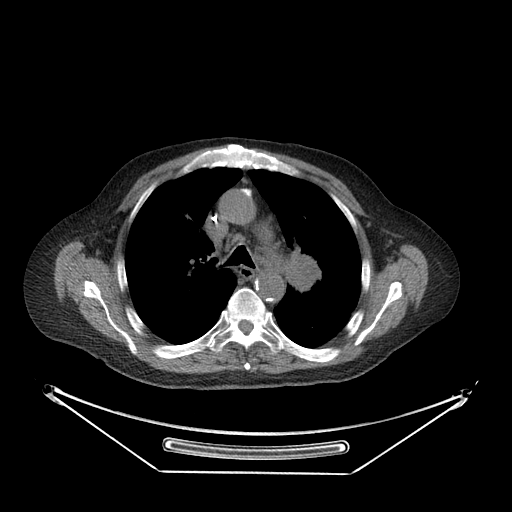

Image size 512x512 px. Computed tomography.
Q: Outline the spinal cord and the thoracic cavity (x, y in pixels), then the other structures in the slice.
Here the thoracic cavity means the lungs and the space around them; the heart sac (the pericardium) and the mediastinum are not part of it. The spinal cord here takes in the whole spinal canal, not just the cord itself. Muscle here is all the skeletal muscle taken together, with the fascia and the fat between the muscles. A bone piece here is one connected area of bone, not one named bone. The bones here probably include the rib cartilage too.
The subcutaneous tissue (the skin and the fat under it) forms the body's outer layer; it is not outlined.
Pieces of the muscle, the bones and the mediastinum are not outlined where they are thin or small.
A: {"spinal_cord":[[[242,320],[246,320],[247,321],[249,321],[252,324],[252,328],[251,329],[251,330],[248,333],[244,333],[239,328],[239,323]]],"thoracic_cavity":[[[215,167],[238,168],[242,172],[241,177],[223,191],[212,204],[201,226],[214,248],[214,267],[229,270],[235,276],[236,284],[218,319],[208,330],[184,343],[168,343],[147,327],[134,308],[125,265],[128,235],[139,210],[158,186],[197,169]],[[250,169],[279,172],[292,177],[302,178],[315,184],[328,194],[342,212],[353,231],[361,259],[359,296],[356,306],[343,328],[323,347],[307,347],[295,342],[281,330],[275,320],[273,310],[284,296],[288,285],[285,271],[288,246],[276,215],[248,174]]],"bones":[{"outer":[[242,287],[257,294],[289,339],[307,348],[336,347],[340,349],[339,354],[318,362],[284,350],[273,353],[262,341],[254,342],[247,350],[230,341],[218,352],[205,348],[174,358],[157,356],[152,351],[157,344],[184,344],[208,331],[219,319],[233,292]],"hole":[[242,320],[246,320],[247,321],[249,321],[252,324],[252,328],[251,329],[251,330],[248,333],[244,333],[239,328],[239,323]]},[[230,143],[239,144],[247,148],[252,148],[258,152],[263,152],[274,156],[279,160],[296,168],[302,176],[296,177],[279,171],[272,171],[263,168],[249,169],[215,166],[211,168],[197,168],[181,176],[175,177],[177,172],[197,155],[207,150],[225,147]],[[85,280],[92,281],[96,284],[100,291],[101,297],[107,307],[111,319],[122,330],[126,332],[131,337],[137,349],[137,354],[135,355],[131,352],[125,338],[110,324],[107,319],[105,310],[101,303],[96,298],[87,297],[83,294],[84,281]],[[394,281],[398,281],[401,283],[402,286],[401,288],[402,291],[401,296],[399,298],[392,301],[386,307],[381,314],[379,319],[376,322],[374,327],[364,337],[360,343],[357,345],[354,345],[354,342],[359,333],[368,327],[372,323],[386,299],[390,284]],[[127,305],[129,305],[133,307],[133,308],[135,310],[136,313],[138,315],[140,319],[146,326],[146,328],[144,330],[145,332],[145,335],[140,335],[132,327],[130,322],[128,320],[128,318],[126,315],[126,312],[125,311],[125,307]],[[359,309],[361,309],[363,311],[363,317],[362,318],[362,320],[361,321],[361,322],[360,323],[356,332],[351,336],[348,337],[347,336],[347,332],[343,329],[346,325],[346,324],[348,322],[348,321],[350,319],[352,314],[355,311],[356,311]],[[154,182],[157,182],[157,186],[152,191],[152,192],[148,196],[148,197],[142,204],[142,205],[138,210],[137,213],[135,215],[131,224],[129,224],[128,222],[128,220],[129,219],[130,212],[134,207],[135,204],[137,202],[141,194],[152,183]],[[363,258],[366,258],[369,261],[369,264],[370,265],[370,279],[369,280],[369,285],[368,286],[368,288],[367,289],[367,291],[366,292],[365,292],[364,293],[363,293],[361,291],[361,264],[362,263],[362,259]],[[329,193],[333,193],[349,209],[349,210],[352,213],[355,219],[355,221],[356,222],[356,228],[357,229],[357,232],[356,234],[354,233],[354,231],[349,221],[347,219],[347,218],[345,216],[343,212],[340,209],[340,208],[329,195]],[[121,256],[124,258],[124,265],[125,266],[125,273],[126,274],[126,278],[127,279],[127,285],[128,286],[128,288],[124,292],[122,292],[121,291],[120,289],[120,286],[118,282],[118,279],[117,278],[117,261],[118,259]]],"mediastinum":[[[241,169],[248,169],[247,174],[251,181],[275,215],[287,246],[284,266],[287,285],[283,296],[272,311],[266,307],[252,288],[242,286],[235,289],[237,279],[229,269],[215,267],[217,258],[213,255],[214,245],[202,229],[213,204],[223,192],[242,177]]],"muscle":[{"outer":[[225,144],[197,154],[173,178],[159,185],[157,181],[152,182],[129,212],[127,222],[130,227],[124,257],[121,255],[116,261],[116,278],[120,291],[124,293],[128,289],[129,292],[133,306],[127,304],[124,311],[131,327],[140,336],[146,335],[147,328],[167,343],[157,343],[151,348],[157,357],[174,359],[205,349],[218,353],[230,342],[247,351],[254,343],[262,342],[273,354],[284,351],[307,361],[325,363],[341,352],[336,346],[326,345],[342,330],[348,338],[354,335],[363,320],[364,311],[355,309],[360,293],[368,291],[371,265],[366,257],[361,258],[353,213],[333,192],[327,193],[303,178],[293,165],[253,148],[300,159],[343,182],[367,215],[359,215],[358,218],[377,271],[398,245],[408,243],[419,248],[427,261],[428,281],[418,311],[378,338],[358,357],[343,363],[267,374],[248,371],[251,365],[245,361],[245,370],[189,374],[157,369],[128,356],[79,313],[62,305],[54,285],[55,259],[62,246],[78,239],[85,245],[88,256],[109,264],[126,215],[116,210],[137,179],[176,157]],"holes":[[[85,280],[92,281],[96,284],[100,291],[101,297],[107,307],[111,319],[122,330],[126,332],[131,337],[137,349],[137,354],[135,355],[131,352],[125,338],[110,324],[107,319],[105,310],[101,303],[96,298],[87,297],[83,294],[84,281]],[[394,281],[398,281],[401,283],[402,286],[401,288],[402,291],[401,296],[399,298],[392,301],[386,307],[381,314],[379,319],[376,322],[374,327],[364,337],[360,343],[357,345],[354,345],[354,342],[359,333],[368,327],[372,323],[386,299],[390,284]]]}],"torso":[[[222,136],[299,143],[342,156],[361,168],[392,203],[421,218],[451,247],[459,265],[460,288],[449,313],[355,378],[251,389],[194,390],[150,385],[42,334],[28,315],[22,291],[27,260],[40,238],[62,218],[93,200],[133,157],[170,144]]]}